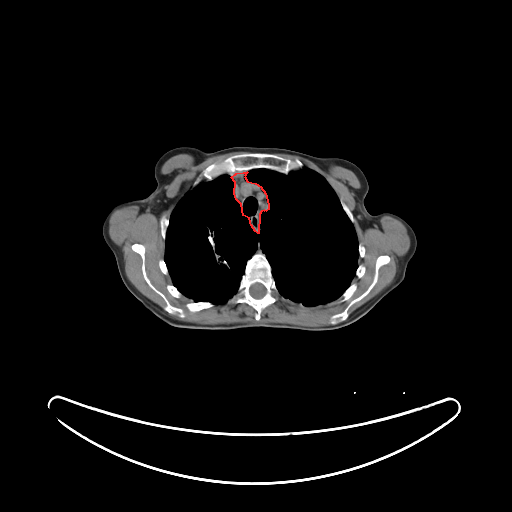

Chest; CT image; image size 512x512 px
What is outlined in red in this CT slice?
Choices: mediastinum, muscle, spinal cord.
red: mediastinum.
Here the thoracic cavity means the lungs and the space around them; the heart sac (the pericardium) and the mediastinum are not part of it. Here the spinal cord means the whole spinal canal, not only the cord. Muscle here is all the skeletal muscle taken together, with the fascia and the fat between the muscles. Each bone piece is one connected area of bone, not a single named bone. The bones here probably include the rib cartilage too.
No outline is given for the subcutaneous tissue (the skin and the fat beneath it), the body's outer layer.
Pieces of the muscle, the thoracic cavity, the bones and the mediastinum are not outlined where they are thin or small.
Outlines:
mediastinum: (243, 172) (247, 172) (244, 176) (247, 181) (255, 183) (260, 186) (265, 193) (268, 204) (268, 209) (265, 211) (264, 210) (261, 211) (259, 214) (258, 233) (255, 231) (251, 225) (249, 218) (243, 215) (241, 204) (236, 199) (234, 193) (235, 182) (231, 177) (236, 173)
spinal cord: (255, 283) (259, 283) (260, 284) (261, 284) (265, 288) (265, 293) (263, 295) (263, 296) (262, 296) (260, 298) (256, 298) (255, 297) (254, 297) (253, 296) (252, 296) (251, 295) (251, 294) (250, 293) (250, 287) (253, 284) (254, 284)
torso: (179, 146) (205, 152) (233, 146) (275, 147) (354, 163) (369, 185) (364, 199) (367, 211) (372, 215) (396, 214) (416, 235) (417, 246) (403, 281) (358, 320) (333, 330) (206, 330) (165, 323) (125, 287) (103, 238) (102, 224) (116, 204) (145, 198) (156, 188) (157, 160)
bones 1: (245, 152) (272, 153) (292, 160) (297, 158) (303, 164) (301, 168) (291, 170) (286, 174) (269, 168) (254, 168) (247, 171) (236, 172) (232, 176) (228, 173) (223, 173) (211, 180) (202, 180) (195, 186) (193, 186) (195, 180) (210, 164) (219, 160) (223, 160) (232, 155)
bones 2: (256, 252) (261, 252) (264, 254) (268, 261) (277, 289) (277, 294) (276, 295) (277, 299) (276, 301) (268, 305) (261, 311) (259, 320) (255, 319) (256, 311) (250, 305) (244, 302) (235, 304) (229, 304) (227, 302) (238, 289) (241, 278) (245, 271) (247, 261), around a hole outlined by (255, 283) (259, 283) (260, 284) (261, 284) (265, 288) (265, 293) (263, 295) (263, 296) (262, 296) (260, 298) (256, 298) (255, 297) (254, 297) (253, 296) (252, 296) (251, 295) (251, 294) (250, 293) (250, 287) (253, 284) (254, 284)
bones 3: (380, 255) (388, 255) (390, 260) (388, 263) (382, 265) (378, 269) (378, 277) (374, 286) (364, 297) (355, 302) (348, 309) (348, 317) (345, 320) (339, 321) (335, 324) (330, 324) (329, 318) (331, 315) (341, 312) (352, 299) (359, 296) (369, 286) (373, 279) (376, 259)
bones 4: (134, 243) (140, 243) (145, 247) (145, 270) (152, 284) (166, 297) (172, 305) (184, 309) (184, 316) (181, 317) (179, 315) (174, 315) (167, 312) (164, 309) (165, 302) (163, 298) (155, 292) (144, 279) (141, 268) (142, 264) (141, 256) (132, 250) (131, 248) (131, 245)
bones 5: (191, 300) (195, 302) (198, 302) (199, 301) (208, 301) (209, 302) (211, 302) (213, 304) (213, 306) (211, 307) (209, 307) (208, 308) (204, 308) (203, 309) (201, 309) (195, 312) (191, 312) (185, 308) (185, 304) (189, 302)
bones 6: (353, 282) (357, 284) (357, 288) (356, 290) (354, 292) (354, 293) (352, 295) (350, 299) (348, 300) (346, 300) (345, 301) (343, 301) (342, 302) (340, 302) (339, 301) (340, 300) (340, 297) (341, 295) (351, 284) (351, 283)
bones 7: (164, 214) (165, 215) (167, 215) (168, 216) (169, 216) (169, 222) (168, 223) (168, 225) (167, 226) (167, 228) (166, 229) (166, 232) (165, 233) (165, 239) (164, 240) (163, 239) (163, 238) (161, 235) (161, 229) (160, 228) (160, 218) (162, 216) (162, 215) (163, 215)
bones 8: (168, 284) (172, 284) (182, 294) (182, 296) (181, 296) (180, 297) (179, 297) (178, 298) (177, 298) (176, 297) (174, 297) (173, 296) (172, 296) (168, 292) (168, 291) (167, 290) (167, 289) (166, 288) (166, 286)
bones 9: (340, 197) (342, 198) (342, 199) (344, 201) (346, 205) (351, 211) (354, 217) (354, 222) (353, 223) (350, 220) (349, 217) (343, 209) (342, 207) (342, 205) (339, 199)
bones 10: (359, 264) (362, 264) (363, 265) (364, 265) (365, 266) (365, 272) (364, 273) (364, 274) (360, 278) (358, 278) (355, 275) (355, 273) (356, 272) (356, 270) (357, 269) (357, 268) (358, 267) (358, 266) (359, 265)
bones 11: (160, 259) (163, 259) (164, 260) (164, 261) (165, 262) (165, 264) (167, 267) (167, 270) (168, 271) (168, 275) (166, 275) (165, 274) (164, 274) (161, 271) (161, 270) (159, 267) (159, 264) (158, 263) (158, 262)
thoracic cavity: (304, 166) (325, 178) (356, 233) (358, 265) (339, 297) (306, 306) (282, 296) (258, 241) (236, 291) (223, 303) (192, 300) (172, 283) (164, 259) (166, 233) (175, 206) (190, 189) (228, 174) (241, 213) (258, 234) (260, 214) (269, 204) (246, 174) (269, 169) (286, 175)
muscle 1: (131, 205) (149, 208) (160, 217) (160, 235) (165, 247) (158, 267) (170, 277) (171, 283) (165, 286) (167, 292) (177, 299) (183, 295) (189, 299) (184, 308) (191, 313) (214, 304) (244, 303) (255, 311) (254, 319) (259, 321) (262, 311) (277, 301) (278, 293) (306, 307) (327, 304) (338, 298) (340, 303) (350, 300) (341, 311) (329, 316) (328, 325) (320, 326) (279, 322) (203, 324) (176, 319) (129, 281) (123, 252) (110, 238) (108, 228) (112, 213), around a hole outlined by (134, 243) (140, 243) (145, 247) (145, 270) (152, 284) (166, 297) (172, 305) (184, 309) (184, 316) (181, 317) (179, 315) (174, 315) (167, 312) (164, 309) (165, 302) (163, 298) (155, 292) (144, 279) (141, 268) (142, 264) (141, 256) (132, 250) (131, 248) (131, 245)
muscle 2: (354, 215) (363, 230) (370, 228) (373, 223) (383, 216) (390, 216) (400, 221) (407, 230) (410, 245) (408, 251) (397, 262) (394, 280) (349, 316) (349, 309) (372, 290) (378, 281) (379, 269) (391, 260) (388, 254) (378, 255) (375, 259) (370, 283) (359, 295) (351, 299) (358, 288) (358, 284) (354, 281) (352, 282) (353, 278) (355, 276) (360, 279) (366, 272) (366, 266) (358, 263) (359, 258) (361, 259) (365, 256) (366, 248) (358, 241) (354, 226)
muscle 3: (230, 152) (244, 152) (232, 154) (207, 165) (192, 183) (193, 187) (190, 188) (178, 200) (170, 215) (164, 213) (161, 216) (161, 214) (168, 208) (170, 201) (166, 196) (163, 175) (160, 171) (166, 160) (174, 155) (186, 153) (192, 155) (195, 161) (198, 163) (209, 157)
muscle 4: (279, 153) (303, 157) (312, 161) (324, 170) (332, 165) (341, 166) (351, 170) (357, 176) (361, 185) (360, 188) (357, 190) (356, 197) (354, 198) (355, 208) (353, 214) (343, 198) (337, 195) (325, 177) (317, 171) (304, 165) (303, 162) (297, 157) (292, 159) (277, 154)